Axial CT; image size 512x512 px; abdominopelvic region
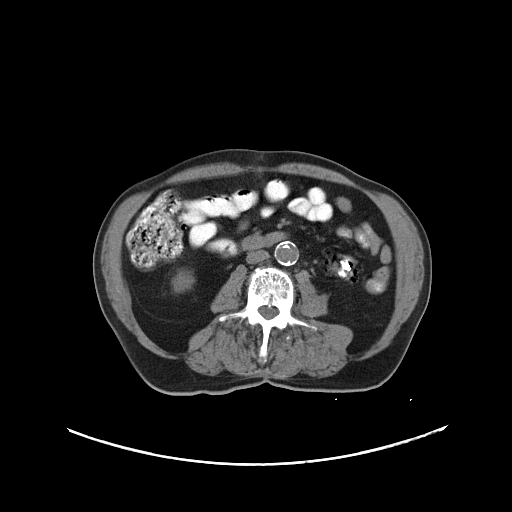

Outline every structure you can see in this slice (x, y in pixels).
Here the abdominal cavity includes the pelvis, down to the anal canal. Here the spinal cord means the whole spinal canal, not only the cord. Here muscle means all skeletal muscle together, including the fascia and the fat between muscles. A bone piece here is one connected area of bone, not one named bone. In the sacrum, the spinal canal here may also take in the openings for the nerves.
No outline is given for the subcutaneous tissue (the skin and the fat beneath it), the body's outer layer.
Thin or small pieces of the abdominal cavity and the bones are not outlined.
The torso is outlined by 224,147 294,149 327,157 394,190 421,221 432,257 429,301 401,363 380,386 365,391 334,393 296,391 263,383 222,395 174,396 150,387 130,364 101,311 94,287 92,254 99,227 115,199 132,184 188,156. The muscle is outlined by 220,162 229,162 241,166 252,165 253,166 264,166 265,167 275,167 284,163 292,163 293,162 316,165 336,171 368,190 377,191 387,194 394,198 402,206 416,226 422,243 423,251 424,252 424,258 423,259 424,277 417,303 408,318 400,326 399,330 394,336 392,339 392,341 388,346 368,358 359,361 350,361 348,362 340,370 333,375 330,375 325,377 318,377 313,380 305,380 299,378 287,378 284,379 271,375 263,370 260,370 251,375 248,375 247,376 239,375 238,376 231,376 230,377 222,377 221,376 205,375 196,372 191,369 182,359 170,359 155,354 144,347 137,340 137,338 126,328 116,315 116,313 113,309 111,305 111,302 107,295 106,287 105,286 105,280 102,273 101,262 100,261 103,239 116,209 128,197 136,193 147,191 156,185 163,182 171,176 181,171 196,166 201,166 202,165 206,165 212,163 219,163; inner edge: 245,172 347,185 381,211 395,294 369,347 349,351 352,329 319,318 329,296 298,269 291,313 317,329 272,328 260,361 261,327 219,320 246,304 241,263 184,351 162,347 141,327 122,271 132,218 165,186. The abdominal cavity is outlined by 245,172 347,185 381,211 395,252 395,294 369,347 350,352 352,329 319,318 329,296 305,269 294,284 273,265 256,266 248,279 238,264 209,304 215,315 184,351 162,347 141,327 122,271 132,218 165,186. The spinal cord is outlined by 262,306 267,306 268,307 275,307 277,309 277,311 278,312 277,313 277,314 276,315 275,315 273,317 272,317 271,318 270,318 269,319 267,319 266,318 265,318 259,312 259,308 260,307 261,307. The bones are outlined by 267,266 288,273 294,286 292,315 316,326 317,329 296,324 287,325 283,329 272,328 267,341 266,361 263,362 259,356 262,344 261,327 249,324 245,318 228,318 220,321 219,317 244,307 251,272 256,267, around a hole outlined by 262,306 267,306 268,307 275,307 277,309 277,311 278,312 277,313 277,314 276,315 275,315 273,317 272,317 271,318 270,318 269,319 267,319 266,318 265,318 259,312 259,308 260,307 261,307.